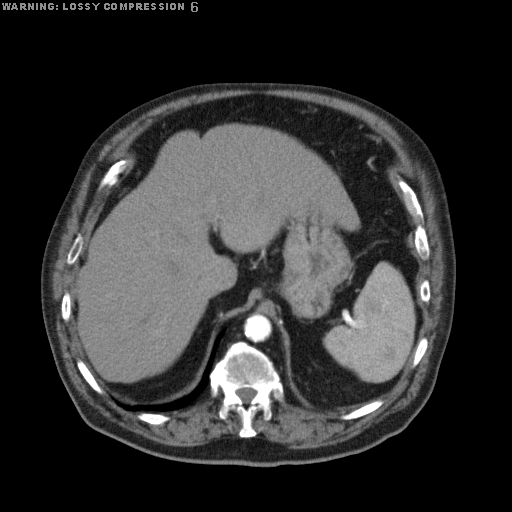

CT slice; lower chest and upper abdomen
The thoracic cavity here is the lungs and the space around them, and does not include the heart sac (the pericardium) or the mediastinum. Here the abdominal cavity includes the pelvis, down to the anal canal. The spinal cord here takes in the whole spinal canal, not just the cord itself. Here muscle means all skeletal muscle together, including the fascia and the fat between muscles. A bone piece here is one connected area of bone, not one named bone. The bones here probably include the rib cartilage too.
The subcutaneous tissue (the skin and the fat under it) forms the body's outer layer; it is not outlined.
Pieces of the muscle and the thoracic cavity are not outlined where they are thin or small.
Outlines (x, y in pixels):
muscle: [[226,89],[304,90],[365,107],[398,132],[411,158],[425,168],[435,192],[443,297],[426,374],[404,408],[334,444],[295,449],[261,434],[257,437],[252,425],[255,415],[262,411],[263,418],[270,420],[271,395],[283,402],[285,386],[300,404],[314,410],[347,412],[339,416],[344,421],[375,411],[384,403],[380,397],[411,363],[412,368],[418,365],[428,348],[428,338],[420,338],[420,332],[422,302],[431,297],[416,252],[423,261],[431,252],[421,204],[400,177],[403,201],[387,176],[399,153],[364,120],[340,109],[253,93],[160,115],[129,143],[132,169],[107,192],[85,240],[77,233],[66,255],[65,262],[70,266],[75,262],[75,267],[71,291],[61,298],[60,314],[66,323],[71,315],[81,356],[75,364],[88,385],[100,395],[105,391],[151,425],[164,424],[171,418],[164,412],[185,408],[208,388],[212,398],[220,390],[218,417],[224,420],[229,411],[235,412],[241,422],[239,437],[223,434],[201,445],[174,446],[126,429],[83,398],[62,358],[52,272],[86,170],[115,133],[146,111],[183,96]] with a hole at [[121,159],[127,159],[129,160],[129,161],[125,166],[123,171],[118,175],[117,177],[117,181],[112,186],[110,187],[106,186],[101,189],[99,189],[98,188],[98,186],[99,185],[100,180],[102,178],[102,177],[104,175],[106,171],[112,164]]
abdominal cavity: [[253,94],[340,110],[397,151],[386,176],[409,213],[421,278],[411,362],[378,398],[349,411],[314,409],[283,381],[278,326],[252,308],[217,334],[189,393],[124,403],[98,383],[74,335],[70,292],[84,241],[108,192],[133,169],[134,138],[160,116]]
mediastinum: [[252,309],[259,310],[267,314],[273,320],[275,325],[277,326],[277,329],[279,330],[284,356],[284,380],[281,379],[275,364],[270,357],[262,350],[244,340],[233,341],[227,346],[223,355],[219,359],[215,359],[226,324],[234,318],[237,318],[238,316]]
torso: [[224,81],[308,83],[363,97],[415,130],[430,148],[441,172],[456,254],[449,339],[433,391],[422,409],[401,432],[360,453],[274,467],[199,464],[157,457],[86,424],[56,369],[41,311],[41,263],[52,224],[84,153],[108,125],[133,107],[178,88]]
thoracic cavity: [[222,330],[223,334],[215,353],[214,358],[215,361],[208,374],[209,380],[208,387],[192,403],[185,407],[171,411],[152,412],[128,410],[118,404],[114,399],[124,404],[130,405],[159,405],[172,402],[189,394],[200,382],[208,363],[216,337]]
spinal cord: [[241,388],[251,388],[252,389],[253,389],[256,391],[256,393],[255,394],[255,395],[251,399],[251,400],[248,403],[244,403],[243,402],[243,401],[241,399],[241,398],[237,394],[237,393],[236,392],[238,389],[240,389]]
bones 1: [[236,341],[244,341],[266,354],[284,386],[283,401],[270,395],[270,419],[264,418],[262,410],[254,415],[251,425],[256,434],[253,437],[239,436],[242,422],[235,411],[229,410],[224,419],[219,417],[221,390],[214,397],[210,394],[209,374],[213,365]], around a hole outlined by [[241,388],[251,388],[252,389],[253,389],[256,391],[256,393],[255,394],[255,395],[251,399],[251,400],[248,403],[244,403],[243,402],[243,401],[241,399],[241,398],[237,394],[237,393],[236,392],[238,389],[240,389]]
bones 2: [[399,178],[404,180],[415,192],[423,213],[423,216],[424,217],[423,226],[426,232],[427,242],[428,243],[429,251],[430,252],[429,253],[429,257],[428,259],[426,260],[421,259],[415,246],[415,228],[416,227],[416,225],[404,202],[403,192],[398,183]]
bones 3: [[121,159],[127,159],[129,160],[129,161],[125,166],[123,171],[118,175],[117,177],[117,181],[112,186],[110,187],[106,186],[101,189],[99,189],[98,188],[98,186],[99,185],[100,180],[102,178],[102,177],[104,175],[106,171],[112,164]]
bones 4: [[379,398],[383,400],[383,403],[375,410],[365,415],[363,415],[360,417],[358,417],[354,419],[349,419],[348,420],[344,420],[340,418],[340,416],[341,415],[343,415],[373,400],[375,400]]
bones 5: [[78,358],[80,358],[84,362],[85,365],[87,367],[87,368],[89,370],[89,371],[91,373],[91,374],[93,376],[97,383],[104,391],[104,393],[103,394],[100,394],[96,391],[95,391],[85,380],[85,379],[81,374],[76,364],[76,361]]
bones 6: [[79,233],[80,233],[83,237],[83,245],[81,248],[81,251],[77,259],[74,262],[74,263],[70,265],[66,262],[66,260],[67,259],[67,255],[73,243],[73,241],[75,237],[77,235],[77,234]]
bones 7: [[139,412],[151,412],[152,413],[162,413],[165,415],[167,415],[168,416],[169,416],[169,417],[170,418],[167,421],[166,421],[164,423],[163,423],[162,424],[151,424],[150,423],[148,423],[145,421],[143,421],[142,420],[139,419],[137,417],[137,414]]
bones 8: [[66,291],[68,291],[70,293],[70,298],[71,299],[71,312],[70,313],[70,318],[69,319],[69,320],[66,322],[63,320],[63,319],[62,318],[62,315],[61,314],[61,302],[62,301],[62,298],[63,297],[63,295],[64,294],[64,293]]
bones 9: [[422,337],[426,337],[427,338],[427,340],[428,341],[427,343],[427,348],[424,354],[422,356],[421,359],[417,364],[417,365],[414,367],[412,367],[412,361],[413,360],[414,353],[415,352],[416,347],[418,344],[418,342],[419,340]]
bones 10: [[424,279],[427,279],[428,280],[428,281],[429,282],[429,287],[430,288],[430,297],[429,298],[429,301],[428,302],[424,302],[423,301],[422,301],[422,300],[421,299],[421,298],[420,297],[420,285],[421,284],[421,283],[422,282],[422,281]]